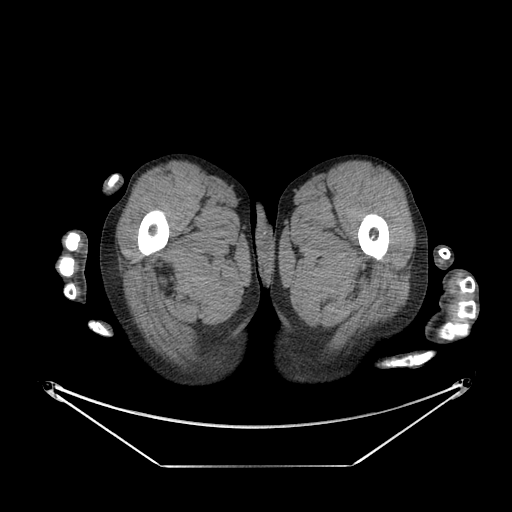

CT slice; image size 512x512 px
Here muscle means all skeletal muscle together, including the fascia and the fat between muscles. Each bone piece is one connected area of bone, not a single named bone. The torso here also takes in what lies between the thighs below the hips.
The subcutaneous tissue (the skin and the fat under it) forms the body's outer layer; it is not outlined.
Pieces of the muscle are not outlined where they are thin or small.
{"bones":[[[369,213],[375,213],[381,216],[386,221],[387,225],[388,226],[388,230],[389,231],[389,243],[388,244],[388,247],[385,254],[380,260],[378,260],[364,253],[364,252],[361,249],[359,245],[359,242],[358,241],[358,237],[357,236],[358,227],[363,217]],[[154,209],[161,210],[164,213],[169,226],[169,236],[168,237],[167,243],[163,248],[155,252],[153,252],[149,255],[144,255],[139,250],[138,248],[138,245],[137,244],[138,228],[141,222],[141,220],[144,215],[149,211]],[[429,349],[433,349],[435,350],[436,352],[435,355],[425,363],[418,366],[413,366],[412,367],[407,367],[406,366],[390,366],[389,367],[387,367],[380,364],[381,362],[387,359],[391,359],[392,358],[401,358],[407,355],[412,355],[416,353],[421,353]],[[449,321],[451,321],[452,322],[456,322],[457,321],[459,322],[463,322],[464,321],[467,321],[469,323],[469,331],[467,335],[465,336],[458,336],[451,340],[447,340],[446,339],[443,339],[439,337],[438,336],[438,330],[439,328],[446,322],[448,322]],[[468,300],[473,300],[476,303],[476,315],[475,316],[475,317],[474,318],[472,318],[471,319],[470,318],[466,318],[465,319],[461,319],[460,318],[459,318],[456,315],[456,313],[457,312],[457,309],[458,308],[458,302],[459,301],[467,301]],[[64,255],[65,255],[66,256],[70,256],[71,257],[72,257],[74,259],[74,265],[73,266],[73,273],[70,276],[64,276],[63,275],[62,275],[58,271],[58,270],[56,268],[56,265],[57,264],[57,262],[58,261],[58,260],[62,256],[63,256]],[[467,276],[471,276],[473,278],[473,279],[475,282],[475,289],[473,292],[464,292],[463,293],[462,293],[460,291],[460,288],[459,287],[459,286],[457,284],[457,283],[456,282],[456,280],[458,278],[464,278]],[[70,232],[76,232],[78,234],[79,234],[79,235],[80,236],[80,239],[78,242],[78,245],[77,246],[77,248],[73,251],[71,251],[70,250],[69,250],[64,245],[64,244],[63,243],[63,240],[64,239],[65,236],[68,233],[69,233]],[[90,320],[93,320],[94,321],[96,321],[97,322],[99,322],[103,326],[104,326],[111,333],[111,334],[110,335],[102,335],[101,334],[100,334],[99,333],[98,333],[95,331],[93,331],[91,329],[90,329],[90,328],[88,326],[88,322]],[[69,282],[73,282],[73,283],[75,285],[75,287],[76,288],[76,296],[75,297],[75,298],[74,299],[70,299],[69,298],[68,298],[64,294],[64,292],[63,291],[63,288],[64,287],[64,286],[67,283],[68,283]],[[441,248],[447,248],[449,250],[449,251],[450,252],[450,257],[448,259],[444,259],[442,257],[441,257],[438,254],[438,250],[439,249],[440,249]],[[113,174],[116,174],[118,176],[118,177],[117,178],[117,180],[114,183],[114,184],[111,187],[110,187],[109,188],[108,188],[107,189],[106,189],[106,187],[107,186],[107,183],[108,182],[108,181],[109,180],[109,178]]],"right_arm":[[[71,228],[82,229],[86,233],[88,238],[88,252],[87,253],[87,259],[86,260],[86,265],[84,271],[86,278],[87,288],[86,289],[86,303],[84,304],[75,301],[72,301],[64,294],[62,281],[54,267],[54,263],[61,249],[60,237],[66,230]],[[116,172],[120,172],[123,176],[123,183],[122,184],[122,186],[113,195],[112,195],[111,196],[109,196],[108,197],[107,197],[106,196],[104,196],[101,191],[101,187],[102,186],[103,181],[108,176],[109,176],[111,174],[112,174],[113,173],[115,173]],[[92,318],[99,318],[109,323],[112,326],[113,328],[113,335],[111,336],[109,336],[108,335],[102,335],[90,329],[90,328],[88,326],[88,322],[90,320],[91,320]]],"left_leg":[[[349,153],[379,157],[393,165],[406,179],[427,230],[426,294],[414,320],[401,333],[378,344],[362,365],[348,377],[321,385],[288,383],[274,373],[270,363],[271,338],[278,323],[268,289],[274,267],[274,224],[277,203],[285,187],[310,167],[328,158]]],"right_leg":[[[174,152],[191,153],[209,160],[231,174],[246,189],[250,198],[252,241],[261,286],[259,304],[249,323],[250,339],[244,361],[226,380],[203,387],[169,382],[141,361],[112,312],[99,267],[99,245],[104,220],[111,207],[124,194],[130,176],[146,161]]],"muscle":[{"outer":[[173,159],[197,164],[232,186],[239,199],[251,262],[251,280],[244,289],[240,307],[230,318],[200,336],[198,346],[202,359],[196,366],[183,370],[172,366],[155,353],[132,322],[123,296],[122,279],[118,275],[114,244],[116,225],[137,179],[148,169]],"hole":[[154,209],[161,210],[164,213],[169,226],[169,236],[168,237],[167,243],[163,248],[155,252],[153,252],[149,255],[144,255],[139,250],[138,248],[138,245],[137,244],[138,228],[141,222],[141,220],[144,215],[149,211]]},{"outer":[[354,159],[376,162],[388,169],[405,191],[416,234],[415,249],[411,258],[409,299],[403,309],[390,321],[375,326],[370,334],[349,352],[332,359],[319,360],[318,356],[323,348],[322,336],[299,319],[281,283],[278,269],[281,227],[295,189],[324,168]],"hole":[[369,213],[375,213],[381,216],[386,221],[387,225],[388,226],[388,230],[389,231],[389,243],[388,244],[388,247],[385,254],[380,260],[378,260],[364,253],[364,252],[361,249],[359,245],[359,242],[358,241],[358,237],[357,236],[358,227],[363,217]]},[[460,271],[465,272],[468,275],[464,277],[458,277],[455,280],[459,288],[459,291],[463,294],[473,293],[475,290],[475,301],[473,299],[459,300],[457,302],[455,315],[461,320],[466,319],[470,319],[470,320],[469,322],[467,320],[446,321],[437,330],[437,336],[446,341],[442,344],[432,343],[430,341],[430,338],[434,333],[434,329],[438,327],[444,321],[444,318],[446,315],[446,309],[449,296],[448,281],[454,273]],[[80,234],[83,239],[83,246],[81,248],[81,252],[77,255],[77,258],[79,260],[78,263],[79,265],[79,269],[76,274],[77,275],[77,280],[80,287],[81,294],[79,298],[76,298],[77,296],[77,288],[76,285],[73,281],[69,281],[68,282],[69,279],[67,277],[70,277],[74,273],[75,259],[72,256],[70,255],[66,255],[65,254],[67,252],[67,249],[69,251],[73,252],[78,248],[79,242],[81,239]]],"torso":[[[258,198],[263,202],[267,212],[268,218],[273,225],[273,239],[274,240],[274,246],[273,247],[273,267],[272,268],[272,275],[268,288],[265,288],[261,285],[260,276],[255,256],[254,242],[253,241],[253,231],[255,229],[255,225],[256,224],[255,200]]],"left_arm":[[[440,243],[450,246],[455,253],[455,259],[451,267],[461,267],[469,270],[474,275],[479,285],[479,315],[470,333],[465,338],[451,344],[435,344],[424,337],[426,321],[439,309],[438,299],[442,292],[441,281],[446,272],[438,268],[433,261],[433,248]],[[420,348],[433,349],[435,350],[436,353],[433,357],[418,367],[412,368],[411,367],[404,367],[403,366],[390,366],[389,367],[381,368],[374,365],[373,363],[374,360],[379,356],[382,356],[383,355],[394,355],[399,353],[405,353]]]}